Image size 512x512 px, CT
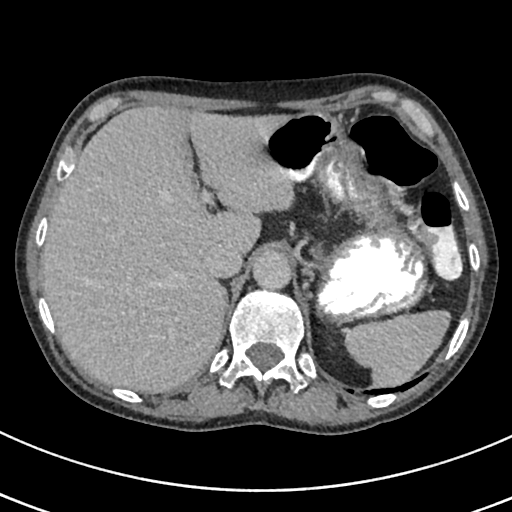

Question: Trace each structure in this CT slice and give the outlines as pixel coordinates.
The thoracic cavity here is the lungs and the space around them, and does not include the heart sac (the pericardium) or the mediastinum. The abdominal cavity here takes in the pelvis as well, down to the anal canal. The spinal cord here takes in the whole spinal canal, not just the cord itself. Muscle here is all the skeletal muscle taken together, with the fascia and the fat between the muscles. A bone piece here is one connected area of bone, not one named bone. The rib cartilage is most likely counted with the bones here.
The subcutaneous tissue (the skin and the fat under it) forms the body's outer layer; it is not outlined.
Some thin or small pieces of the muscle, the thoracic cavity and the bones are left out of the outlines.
Answer: The mediastinum is outlined by [[268,248],[281,248],[284,250],[287,250],[291,255],[291,264],[292,265],[291,281],[294,296],[298,304],[289,294],[275,290],[270,290],[266,288],[256,288],[242,295],[242,288],[244,286],[244,282],[246,281],[248,277],[252,263],[260,252]]. The abdominal cavity is outlined by [[367,100],[395,104],[443,154],[463,221],[471,268],[465,309],[425,373],[365,393],[322,375],[305,340],[292,255],[281,247],[255,256],[225,338],[191,381],[165,393],[137,393],[82,372],[56,332],[41,261],[52,205],[91,122],[125,103],[305,110]]. The thoracic cavity is outlined by [[424,374],[425,374],[425,375],[419,381],[418,381],[415,384],[403,390],[391,391],[390,392],[380,393],[379,394],[367,394],[366,393],[366,392],[371,390],[387,389],[388,388],[389,389],[390,388],[397,388],[403,384],[405,384],[416,378],[418,378]]. The bones appear in 8 outlined pieces: piece 1: [[256,289],[289,295],[301,312],[304,336],[298,349],[311,355],[318,376],[305,375],[308,383],[297,393],[283,378],[260,386],[252,376],[244,375],[231,388],[222,386],[219,378],[227,363],[208,371],[223,346],[231,351],[228,327],[232,314],[240,298]], around a hole outlined by [[256,343],[265,343],[266,344],[274,344],[280,349],[280,350],[283,354],[283,357],[275,365],[274,365],[272,367],[271,367],[264,371],[261,371],[252,362],[252,361],[249,358],[249,357],[246,353],[247,350],[252,345],[253,345]]; piece 2: [[376,91],[390,91],[394,92],[400,98],[406,98],[411,100],[414,105],[416,107],[418,107],[429,120],[434,131],[433,136],[431,137],[424,133],[405,113],[398,108],[398,106],[395,103],[391,103],[387,101],[382,101],[379,99],[374,98],[371,94]]; piece 3: [[463,316],[466,316],[468,317],[469,319],[469,325],[468,326],[466,334],[464,337],[464,339],[457,351],[449,359],[445,360],[444,359],[444,357],[448,349],[449,342],[452,338],[454,334],[454,332],[456,330],[456,328],[458,326],[458,324],[461,318]]; piece 4: [[67,145],[71,145],[74,148],[74,150],[75,151],[74,166],[73,167],[73,169],[71,171],[69,175],[65,179],[64,179],[63,181],[61,181],[60,182],[56,179],[56,170],[58,166],[58,163],[60,159],[62,157],[62,155],[65,150],[65,147]]; piece 5: [[112,97],[119,97],[121,99],[121,101],[116,107],[113,108],[103,117],[100,117],[98,119],[96,119],[94,121],[89,121],[87,119],[87,116],[88,115],[90,110],[95,105],[96,105],[97,104],[98,104],[99,103],[100,103],[109,98],[111,98]]; piece 6: [[391,392],[395,392],[397,396],[396,398],[390,404],[384,407],[379,407],[378,408],[374,408],[368,405],[366,402],[366,400],[370,396],[372,395],[379,395],[380,394],[385,394],[386,393],[390,393]]; piece 7: [[41,296],[45,298],[45,300],[47,303],[47,305],[48,306],[48,308],[51,315],[51,318],[53,321],[53,325],[55,329],[55,332],[54,333],[51,333],[49,331],[49,330],[44,325],[40,317],[39,308],[38,307],[38,299],[39,297]]; piece 8: [[454,180],[456,180],[458,182],[460,187],[464,192],[468,200],[468,203],[469,204],[469,209],[467,211],[465,211],[461,209],[458,204],[458,202],[456,199],[456,197],[454,193],[454,190],[452,186],[452,182]]. The spinal cord is outlined by [[256,343],[265,343],[266,344],[274,344],[280,349],[280,350],[283,354],[283,357],[275,365],[274,365],[272,367],[271,367],[264,371],[261,371],[252,362],[252,361],[249,358],[249,357],[246,353],[247,350],[252,345],[253,345]]. The muscle is outlined by [[375,84],[389,87],[401,92],[405,96],[417,101],[432,115],[441,128],[451,145],[453,151],[457,156],[465,177],[475,197],[479,216],[481,220],[481,226],[487,248],[487,266],[485,269],[484,280],[482,283],[482,293],[481,294],[482,299],[479,310],[479,320],[476,324],[476,328],[465,349],[452,367],[440,379],[418,397],[403,406],[385,414],[381,414],[366,420],[352,422],[348,424],[340,424],[335,426],[328,425],[324,426],[323,425],[310,425],[305,422],[287,419],[273,413],[246,412],[231,416],[214,417],[201,422],[178,421],[170,420],[167,418],[155,417],[135,411],[122,405],[116,404],[112,401],[104,399],[91,393],[76,383],[61,368],[50,348],[46,335],[43,330],[41,321],[38,317],[38,313],[35,310],[35,306],[31,297],[28,285],[28,279],[26,275],[26,244],[29,230],[39,206],[40,199],[56,154],[71,127],[93,102],[107,94],[116,91],[140,89],[141,90],[158,90],[208,98],[239,99],[256,101],[261,103],[274,103],[279,101],[302,100],[324,97],[338,94],[359,86]] with a hole at [[376,91],[409,99],[426,116],[430,141],[468,200],[460,213],[480,265],[469,273],[462,314],[469,325],[449,359],[446,346],[419,381],[378,408],[367,404],[371,394],[319,372],[305,375],[297,393],[283,378],[260,386],[250,375],[227,388],[219,383],[227,363],[175,390],[139,393],[141,402],[82,372],[40,317],[35,235],[62,185],[56,170],[65,147],[92,124],[95,105],[119,97],[119,106],[305,110],[375,100]]. The torso is outlined by [[348,72],[387,74],[428,95],[455,130],[488,206],[499,256],[495,297],[482,337],[454,379],[400,418],[339,435],[266,425],[182,431],[111,414],[71,392],[47,363],[26,319],[16,284],[14,249],[30,193],[74,106],[96,87],[136,75],[225,81]].